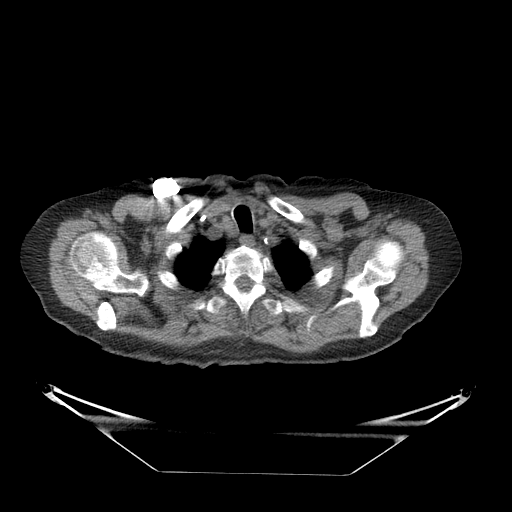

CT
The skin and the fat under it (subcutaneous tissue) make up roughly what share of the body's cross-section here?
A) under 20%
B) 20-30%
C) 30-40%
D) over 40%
B) 20-30%
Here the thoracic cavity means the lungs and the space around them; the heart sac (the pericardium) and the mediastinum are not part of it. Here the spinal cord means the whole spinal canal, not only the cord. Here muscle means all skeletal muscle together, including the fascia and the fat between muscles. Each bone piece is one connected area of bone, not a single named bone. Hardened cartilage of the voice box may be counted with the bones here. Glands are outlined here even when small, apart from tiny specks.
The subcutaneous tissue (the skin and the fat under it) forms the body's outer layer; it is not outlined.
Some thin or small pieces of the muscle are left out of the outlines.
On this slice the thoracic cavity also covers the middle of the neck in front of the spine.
thyroid glands 1: 226,216 227,216 230,218 234,227 237,231 237,234 236,235 236,236 235,236 234,237 233,237 232,236 231,237 229,237 228,236 227,236 225,234 225,233 223,230 223,219 224,218 224,217 225,217
thyroid glands 2: 224,203 230,203 230,208 229,209 229,210 228,211 227,211 226,212 223,212 222,211 221,211 219,209 220,208 220,207 222,205 222,204 223,204
thyroid glands 3: 255,208 256,208 257,208 258,208 259,208 260,209 261,209 262,210 262,211 262,212 262,213 261,214 260,215 259,214 258,214 257,213 256,212 256,211 255,210 255,209
left arm: 403,192 413,194 420,197 423,197 431,201 438,206 445,213 450,220 451,224 461,245 461,248 462,249 462,263 461,264 460,271 457,277 451,285 438,299 434,307 430,305 425,300 403,272 393,263 385,244
thoracic cavity: 241,200 257,207 254,210 260,216 263,211 272,214 308,258 315,272 300,289 286,289 271,258 244,243 226,250 216,260 210,279 200,289 182,284 173,272 176,257 194,234 202,216 216,209 226,213 232,202 with a hole at 226,216 227,216 230,218 234,227 237,231 237,234 236,235 236,236 235,236 234,237 233,237 232,236 231,237 229,237 228,236 227,236 225,234 225,233 223,230 223,219 224,218 224,217 225,217
muscle: 218,181 239,190 260,181 305,197 349,191 365,200 372,215 402,212 425,233 425,290 379,329 373,319 380,306 376,289 395,279 405,254 399,241 384,237 341,285 350,295 328,310 357,303 359,338 296,354 250,339 214,339 181,349 107,331 117,328 108,300 97,305 95,324 62,305 50,286 48,247 59,222 81,209 110,207 128,193 198,193; inner edges: 241,200 272,214 295,244 300,238 311,241 317,249 309,261 314,272 333,266 326,284 315,287 310,280 296,291 286,289 277,274 269,276 269,287 304,304 308,308 305,312 283,310 272,314 259,297 245,316 236,302 217,287 217,277 211,277 200,289 181,283 172,289 158,278 158,270 174,270 175,260 165,254 170,242 176,240 183,245 204,214, then 90,231 100,231 114,242 118,251 118,265 123,272 129,274 135,270 139,270 147,276 149,283 142,296 139,296 136,293 113,293 106,290 99,290 95,288 86,278 77,274 69,261 69,250 73,241 79,235, then 197,196 201,196 204,198 205,200 205,203 204,205 191,217 191,218 180,229 178,232 176,232 175,233 171,233 170,234 166,234 165,233 165,228 166,227 166,225 169,220 175,213 175,212 179,208, then 271,195 275,195 281,198 283,200 290,203 296,208 297,208 302,213 304,217 305,222 304,223 296,223 295,222 293,222 291,220 288,219 286,217 280,214 277,211 273,209 267,202 267,198, then 213,294 218,294 219,295 221,295 226,299 226,303 224,305 223,305 218,310 217,312 210,312 204,308 203,309 200,309 199,310 195,310 189,306 190,303 191,303 195,299 201,296 203,296 205,299 208,299, then 313,314 314,315 315,315 316,316 316,317 313,320 313,321 310,326 310,329 309,330 309,331 308,331 307,330 307,328 306,327 306,324 307,323 307,321 308,320 308,318 310,316 310,315 312,315
bones 1: 243,244 257,249 270,258 277,274 269,276 269,287 304,304 308,308 305,312 283,310 278,314 272,314 262,303 262,298 259,297 250,306 245,316 236,302 217,287 216,281 218,278 211,276 213,266 226,251, around a hole outlined by 241,276 246,276 247,277 248,277 253,282 253,283 252,284 252,285 251,286 251,287 249,289 249,290 248,290 247,291 244,291 243,290 241,290 240,289 239,289 235,283 235,281 237,279 237,278 238,278
bones 2: 90,231 100,231 114,242 118,251 118,265 123,272 129,274 135,270 139,270 147,276 149,283 142,296 139,296 136,293 113,293 106,290 99,290 95,288 86,278 77,274 69,261 69,250 73,241 79,235
bones 3: 384,238 402,245 403,259 394,279 375,289 379,306 372,319 378,325 377,331 371,336 360,338 358,331 361,310 357,302 329,310 340,299 351,295 342,289 342,285 346,279 363,269 366,260 373,255 377,244
bones 4: 197,196 201,196 204,198 205,200 205,203 204,205 191,217 191,218 180,229 178,232 176,232 175,233 171,233 170,234 166,234 165,233 165,228 166,227 166,225 169,220 175,213 175,212 179,208
bones 5: 271,195 275,195 281,198 283,200 290,203 296,208 297,208 302,213 304,217 305,222 304,223 296,223 295,222 293,222 291,220 288,219 286,217 280,214 277,211 273,209 267,202 267,198
bones 6: 102,301 108,301 112,305 113,307 113,309 115,312 115,315 116,316 116,328 113,330 107,330 106,331 104,331 100,329 96,324 96,322 95,321 97,317 97,314 96,313 96,309 98,305
bones 7: 213,294 218,294 219,295 221,295 226,299 226,303 224,305 223,305 218,310 217,312 210,312 204,308 203,309 200,309 199,310 195,310 189,306 190,303 191,303 195,299 201,296 203,296 205,299 208,299
bones 8: 330,265 333,266 333,267 334,268 333,269 333,274 332,275 330,280 326,284 325,284 320,287 315,287 311,281 311,278 312,277 312,276 314,274 314,273 319,271 322,268 323,268 326,266 329,266
bones 9: 158,270 167,270 168,271 170,271 172,272 176,276 176,277 178,279 180,283 180,285 179,287 177,289 172,289 164,285 161,282 161,281 158,278 157,276 157,271
bones 10: 300,238 304,238 305,239 307,239 308,240 311,241 316,246 316,248 317,249 317,253 314,257 314,258 312,260 310,260 309,259 309,258 306,255 306,254 305,253 304,253 298,247 298,243 299,242 299,239
bones 11: 174,240 176,240 177,241 178,241 182,245 182,246 181,247 181,249 182,250 174,258 174,259 170,259 169,258 168,258 167,257 167,256 165,254 165,249 166,248 166,247 167,246 167,245 170,242 171,242
bones 12: 313,314 314,315 315,315 316,316 316,317 313,320 313,321 310,326 310,329 309,330 309,331 308,331 307,330 307,328 306,327 306,324 307,323 307,321 308,320 308,318 310,316 310,315 312,315
right arm: 95,190 97,191 100,196 115,224 123,249 123,254 114,269 103,280 95,282 82,290 43,310 38,296 27,281 20,266 19,262 19,249 22,238 27,229 35,221 40,213 48,206 61,199 70,196 91,192
spinal cord: 241,276 246,276 247,277 248,277 253,282 253,283 252,284 252,285 251,286 251,287 249,289 249,290 248,290 247,291 244,291 243,290 241,290 240,289 239,289 235,283 235,281 237,279 237,278 238,278
torso: 217,172 240,180 268,173 286,182 302,175 347,176 374,188 402,192 384,244 392,263 432,310 400,340 363,358 204,368 112,354 52,320 44,310 103,281 124,254 116,224 98,189 142,176 157,180